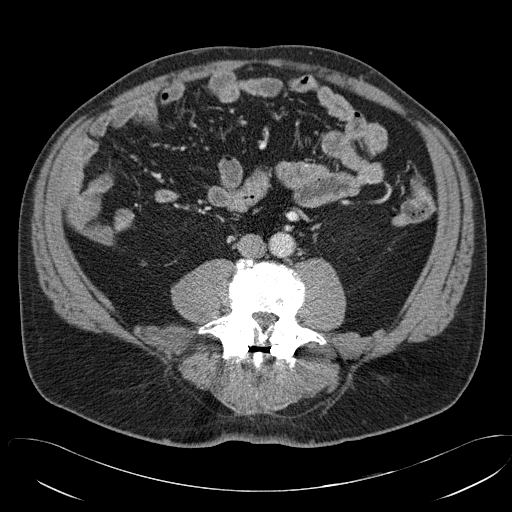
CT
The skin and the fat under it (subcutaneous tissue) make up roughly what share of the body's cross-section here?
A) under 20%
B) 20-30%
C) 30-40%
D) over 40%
B) 20-30%
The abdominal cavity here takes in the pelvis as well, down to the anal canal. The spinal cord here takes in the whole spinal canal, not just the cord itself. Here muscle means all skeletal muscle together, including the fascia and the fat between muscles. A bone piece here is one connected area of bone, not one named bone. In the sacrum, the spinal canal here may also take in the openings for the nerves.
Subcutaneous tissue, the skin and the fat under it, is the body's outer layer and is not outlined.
torso: (274, 44) (325, 47) (373, 66) (441, 119) (465, 148) (482, 191) (487, 238) (485, 331) (469, 384) (437, 415) (380, 435) (311, 448) (237, 440) (209, 447) (166, 446) (112, 431) (49, 403) (25, 366) (17, 276) (22, 193) (45, 142) (78, 106) (155, 58) (205, 46); inner edge: (253, 347) (257, 347) (258, 348) (268, 348) (268, 350) (267, 350) (266, 351) (263, 351) (262, 350) (252, 350) (251, 349) (251, 348) (252, 348)
muscle: (252, 58) (260, 59) (282, 58) (298, 62) (317, 64) (345, 73) (356, 78) (361, 78) (364, 81) (387, 93) (406, 109) (409, 110) (410, 113) (414, 117) (421, 120) (425, 120) (437, 127) (450, 141) (456, 150) (468, 176) (468, 180) (471, 187) (471, 196) (473, 200) (474, 249) (471, 258) (471, 268) (469, 272) (469, 276) (461, 299) (456, 306) (455, 313) (452, 320) (439, 334) (422, 342) (408, 342) (405, 340) (394, 351) (371, 359) (367, 362) (364, 362) (354, 373) (343, 382) (337, 392) (325, 399) (306, 398) (290, 404) (287, 407) (275, 412) (244, 414) (227, 408) (207, 391) (189, 384) (172, 372) (158, 358) (139, 348) (129, 343) (116, 339) (110, 334) (104, 332) (99, 334) (91, 331) (82, 330) (67, 323) (62, 319) (54, 311) (52, 302) (48, 299) (39, 284) (38, 273) (34, 263) (34, 255) (31, 243) (31, 218) (33, 212) (33, 197) (34, 196) (33, 191) (40, 172) (40, 169) (53, 144) (59, 136) (67, 127) (80, 116) (99, 108) (102, 104) (112, 99) (125, 90) (162, 74) (216, 60) (227, 60) (228, 59) (229, 60) (234, 59) (242, 60); inner edge: (252, 64) (405, 118) (437, 192) (429, 254) (390, 328) (337, 331) (338, 274) (299, 261) (295, 317) (327, 341) (289, 359) (267, 350) (257, 374) (253, 350) (225, 358) (196, 332) (230, 312) (236, 260) (206, 260) (171, 286) (189, 324) (129, 325) (62, 223) (95, 121)
spinal cord: (261, 312) (262, 313) (267, 313) (268, 314) (272, 314) (276, 317) (276, 318) (273, 321) (273, 322) (272, 323) (269, 324) (265, 328) (263, 328) (261, 326) (261, 325) (259, 323) (258, 320) (256, 318) (255, 318) (255, 317) (254, 316) (254, 315) (256, 313) (260, 313)
bones 1: (241, 258) (282, 263) (297, 272) (306, 293) (304, 305) (295, 317) (301, 326) (323, 333) (325, 344) (309, 341) (298, 346) (289, 359) (278, 358) (269, 353) (268, 347) (257, 346) (241, 357) (225, 358) (217, 337) (196, 332) (200, 325) (230, 312) (227, 289) (237, 260); inner edge: (261, 312) (262, 313) (267, 313) (268, 314) (272, 314) (276, 317) (276, 318) (273, 321) (273, 322) (272, 323) (269, 324) (265, 328) (263, 328) (261, 326) (261, 325) (259, 323) (258, 320) (256, 318) (255, 318) (255, 317) (254, 316) (254, 315) (256, 313) (260, 313)
bones 2: (254, 351) (262, 351) (263, 352) (265, 352) (266, 353) (267, 353) (267, 354) (265, 354) (263, 356) (263, 361) (261, 364) (261, 368) (257, 374) (255, 374) (255, 373) (254, 372) (254, 365) (253, 364) (253, 362) (252, 361) (252, 360) (253, 359) (253, 352)
abdominal cavity: (252, 64) (323, 78) (396, 112) (419, 131) (436, 184) (435, 234) (388, 330) (369, 335) (336, 330) (344, 321) (346, 297) (338, 274) (322, 257) (293, 267) (241, 257) (206, 260) (170, 288) (173, 307) (189, 324) (129, 325) (72, 251) (62, 209) (87, 129) (157, 91)